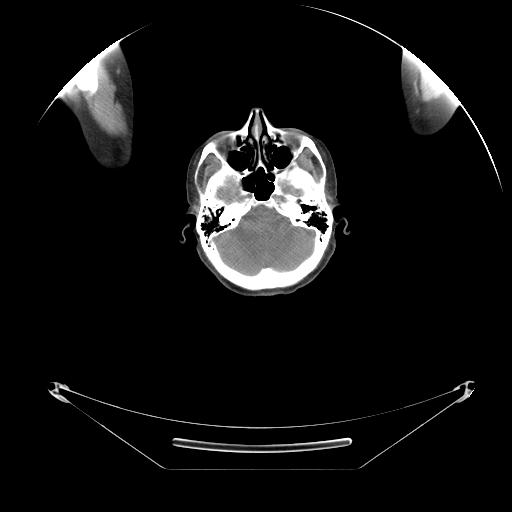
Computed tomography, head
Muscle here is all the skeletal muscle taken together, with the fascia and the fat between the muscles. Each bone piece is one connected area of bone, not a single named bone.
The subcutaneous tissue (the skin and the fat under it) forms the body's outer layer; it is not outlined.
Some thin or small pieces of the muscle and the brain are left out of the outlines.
{"head":[{"outer":[[252,107],[261,107],[275,127],[299,128],[324,142],[341,203],[333,218],[341,214],[348,222],[348,234],[343,221],[337,225],[325,268],[290,294],[232,292],[201,262],[190,229],[180,242],[183,227],[196,223],[184,214],[193,151],[218,131],[239,129]],"holes":[[[259,168],[261,168],[265,174],[271,174],[273,176],[273,178],[271,181],[273,185],[272,190],[266,198],[262,198],[261,199],[257,198],[255,195],[255,193],[253,191],[250,191],[246,189],[244,187],[244,183],[243,182],[243,179],[244,178],[251,175]],[[248,145],[252,148],[252,150],[253,151],[253,155],[251,158],[252,160],[249,162],[249,165],[251,167],[249,167],[247,166],[245,167],[242,170],[238,170],[234,168],[230,164],[230,163],[228,161],[228,156],[230,152],[232,151],[240,151],[244,147]],[[269,144],[277,148],[281,146],[284,146],[288,148],[289,152],[291,155],[291,157],[288,163],[285,166],[281,168],[279,168],[277,167],[273,163],[272,163],[272,160],[270,157],[270,155],[272,154],[272,152],[271,151],[268,153],[268,149],[267,148]]]}],"muscle":[[[96,61],[103,63],[109,69],[112,77],[112,85],[125,105],[128,113],[128,118],[125,126],[119,132],[111,135],[101,134],[90,125],[81,111],[73,91],[73,81],[74,85],[80,91],[85,93],[93,92],[101,85],[103,80],[103,71],[101,66]],[[422,63],[423,63],[433,73],[440,78],[443,82],[446,82],[448,84],[447,85],[447,88],[445,92],[439,98],[435,100],[432,100],[431,101],[422,100],[418,98],[412,92],[410,88],[410,85],[409,84],[410,75],[412,71],[418,65]],[[305,148],[308,149],[309,150],[309,151],[315,157],[315,158],[317,160],[317,161],[320,166],[320,168],[321,169],[321,174],[319,176],[318,179],[316,179],[307,169],[302,167],[299,164],[299,163],[297,160],[300,156],[300,155],[303,152],[303,151]],[[209,154],[213,154],[215,156],[215,157],[219,161],[220,166],[216,170],[215,170],[208,177],[208,178],[206,181],[206,183],[205,184],[205,185],[203,187],[202,187],[199,183],[199,171],[200,170],[200,169],[201,168],[201,166],[203,164],[205,159]],[[314,140],[316,141],[322,148],[327,157],[327,165],[329,168],[329,171],[330,172],[330,181],[331,182],[330,188],[331,189],[331,195],[332,196],[332,201],[330,203],[327,200],[326,193],[325,192],[325,186],[326,185],[326,181],[327,180],[327,168]],[[200,150],[201,150],[200,155],[193,172],[193,183],[198,195],[198,202],[199,203],[198,207],[196,209],[196,212],[194,211],[193,208],[194,200],[193,199],[193,194],[191,189],[191,185],[192,184],[191,177],[192,176],[193,162],[197,153],[199,152]]],"right_arm":[[[119,39],[120,39],[121,50],[124,56],[132,64],[131,101],[134,111],[133,143],[129,158],[119,166],[109,167],[101,164],[92,156],[88,149],[86,136],[79,118],[75,113],[66,110],[60,104],[57,96],[57,90],[75,69],[98,53],[113,45]]],"left_arm":[[[403,49],[414,53],[433,73],[440,78],[443,82],[446,82],[459,98],[459,104],[456,112],[450,119],[447,125],[440,132],[436,134],[427,135],[419,132],[409,123],[407,119],[405,101],[404,100],[404,96],[402,90],[402,53],[403,52]]],"brain":[[[258,206],[273,209],[280,216],[287,218],[293,226],[301,227],[313,233],[313,241],[310,253],[294,267],[289,269],[278,269],[268,265],[261,267],[254,273],[246,273],[228,264],[223,259],[216,239],[224,233],[236,228],[242,218],[253,208]],[[230,186],[233,186],[232,186],[231,187],[232,188],[231,189],[231,190],[234,193],[235,192],[235,195],[234,195],[230,199],[226,199],[224,197],[220,197],[218,195],[218,192],[220,189],[221,189],[222,188],[226,188],[227,187],[229,187]]],"bones":[{"outer":[[254,108],[263,111],[275,127],[305,134],[313,140],[326,168],[324,192],[326,200],[332,206],[333,222],[323,256],[305,277],[285,287],[251,290],[222,276],[204,253],[195,227],[200,203],[194,172],[203,147],[224,132],[239,129],[247,120],[250,110]],"holes":[[[258,206],[273,209],[280,216],[287,218],[293,226],[301,227],[313,233],[313,241],[310,253],[294,267],[289,269],[278,269],[268,265],[261,267],[254,273],[246,273],[228,264],[223,259],[216,239],[224,233],[236,228],[242,218],[253,208]],[[259,168],[261,168],[265,174],[271,174],[273,176],[273,178],[271,181],[273,185],[272,190],[266,198],[262,198],[261,199],[257,198],[255,195],[255,193],[253,191],[250,191],[246,189],[244,187],[244,183],[243,182],[243,179],[244,178],[251,175]],[[248,145],[252,148],[252,150],[253,151],[253,155],[251,158],[252,160],[249,162],[249,165],[251,167],[249,167],[247,166],[245,167],[242,170],[238,170],[234,168],[230,164],[230,163],[228,161],[228,156],[230,152],[232,151],[240,151],[244,147]],[[305,148],[308,149],[309,150],[309,151],[315,157],[315,158],[317,160],[317,161],[320,166],[320,168],[321,169],[321,174],[319,176],[318,179],[316,179],[307,169],[302,167],[299,164],[299,163],[297,160],[300,156],[300,155],[303,152],[303,151]],[[209,154],[213,154],[215,156],[215,157],[219,161],[220,166],[216,170],[215,170],[208,177],[208,178],[206,181],[206,183],[205,184],[205,185],[203,187],[202,187],[199,183],[199,171],[200,170],[200,169],[201,168],[201,166],[203,164],[205,159]],[[269,144],[277,148],[281,146],[284,146],[288,148],[289,152],[291,155],[291,157],[288,163],[285,166],[281,168],[279,168],[277,167],[273,163],[272,163],[272,160],[270,157],[270,155],[272,154],[272,152],[271,151],[268,153],[268,149],[267,148]],[[230,186],[233,186],[232,186],[231,187],[232,188],[231,189],[231,190],[234,193],[235,192],[235,195],[234,195],[230,199],[226,199],[224,197],[220,197],[218,195],[218,192],[220,189],[221,189],[222,188],[226,188],[227,187],[229,187]]]},[[89,59],[95,61],[100,66],[101,68],[101,70],[102,71],[102,80],[101,81],[101,83],[100,85],[95,90],[93,91],[91,91],[90,92],[85,92],[84,91],[82,91],[80,90],[75,85],[74,83],[74,81],[73,80],[73,71]]]}